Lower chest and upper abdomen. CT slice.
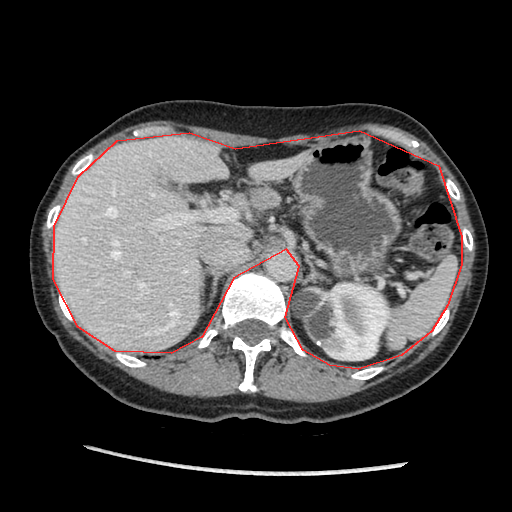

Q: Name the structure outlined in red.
A: red: abdominal cavity.
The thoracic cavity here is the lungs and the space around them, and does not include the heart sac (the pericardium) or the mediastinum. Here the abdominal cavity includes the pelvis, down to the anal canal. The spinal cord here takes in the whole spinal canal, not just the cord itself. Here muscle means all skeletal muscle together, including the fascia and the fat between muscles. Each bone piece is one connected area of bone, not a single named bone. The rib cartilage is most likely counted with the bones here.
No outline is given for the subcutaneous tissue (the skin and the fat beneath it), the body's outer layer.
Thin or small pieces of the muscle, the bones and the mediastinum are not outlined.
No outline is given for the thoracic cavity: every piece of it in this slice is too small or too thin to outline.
Outlined structures:
abdominal cavity: (359, 130) (438, 165) (461, 236) (461, 264) (447, 305) (431, 331) (401, 355) (358, 369) (329, 365) (303, 350) (285, 317) (299, 266) (286, 249) (233, 278) (201, 337) (171, 353) (115, 351) (78, 327) (53, 279) (54, 226) (78, 176) (117, 140) (189, 132) (235, 148)
mediastinum: (276, 250) (286, 250) (287, 251) (290, 251) (293, 253) (298, 259) (298, 266) (296, 269) (296, 272) (292, 276) (289, 285) (287, 287) (285, 300) (285, 296) (282, 290) (282, 287) (271, 277) (257, 271) (247, 271) (244, 272) (247, 269) (254, 265) (255, 263) (260, 259)
torso: (176, 99) (268, 106) (378, 103) (404, 111) (432, 133) (468, 182) (489, 245) (485, 288) (474, 319) (452, 356) (433, 376) (393, 401) (332, 422) (290, 424) (254, 417) (206, 422) (127, 405) (66, 357) (33, 300) (29, 236) (37, 205) (61, 163) (90, 137) (136, 107)
muscle: (155, 120) (171, 120) (180, 123) (203, 126) (232, 133) (246, 134) (247, 135) (267, 137) (268, 138) (278, 138) (301, 133) (320, 133) (321, 132) (326, 132) (331, 129) (342, 126) (359, 124) (365, 122) (371, 122) (372, 123) (391, 125) (400, 128) (415, 135) (424, 141) (445, 163) (455, 176) (462, 188) (465, 196) (465, 201) (469, 217) (474, 229) (475, 241) (476, 242) (476, 254) (473, 263) (473, 268) (471, 270) (472, 275) (470, 283) (467, 285) (463, 291) (460, 304) (455, 314) (452, 324) (450, 326) (447, 334) (440, 344) (417, 364) (378, 384) (345, 397) (322, 402) (312, 402) (311, 403) (300, 403) (299, 402) (267, 397) (260, 394) (252, 395) (245, 393) (230, 394) (210, 398) (198, 398) (197, 397) (189, 397) (179, 395) (174, 393) (162, 391) (129, 375) (121, 369) (106, 363) (101, 359) (99, 359) (83, 345) (68, 334) (67, 331) (57, 317) (57, 315) (53, 308) (49, 290) (49, 283) (46, 272) (46, 258) (42, 247) (43, 246) (41, 237) (41, 226) (44, 220) (45, 212) (56, 195) (64, 175) (68, 168) (80, 155) (101, 140) (126, 127) (142, 122) (154, 121), around a hole outlined by (148, 126) (169, 126) (173, 129) (168, 132) (197, 134) (230, 148) (301, 144) (370, 132) (370, 126) (416, 140) (415, 149) (438, 165) (444, 181) (449, 178) (457, 187) (460, 200) (450, 198) (457, 225) (460, 231) (466, 227) (473, 238) (472, 251) (462, 246) (446, 306) (447, 322) (366, 380) (350, 376) (358, 370) (355, 367) (297, 354) (274, 331) (271, 350) (256, 358) (258, 390) (243, 392) (238, 386) (245, 357) (231, 347) (231, 332) (220, 312) (207, 328) (218, 334) (206, 347) (192, 343) (156, 358) (142, 357) (143, 367) (125, 365) (113, 349) (64, 315) (53, 279) (54, 227) (48, 229) (46, 219) (53, 206) (66, 200) (78, 177) (71, 170) (81, 157) (92, 153) (95, 158) (117, 140) (132, 136) (133, 130)
bones 1: (247, 272) (261, 273) (281, 287) (285, 301) (281, 322) (308, 355) (297, 354) (278, 332) (272, 332) (271, 350) (260, 352) (256, 358) (254, 383) (258, 390) (255, 392) (243, 392) (238, 388) (244, 375) (245, 357) (240, 350) (231, 347) (231, 332) (221, 315) (228, 285); inner edge: (246, 319) (257, 319) (258, 320) (260, 320) (266, 323) (268, 325) (270, 329) (269, 336) (268, 337) (263, 338) (259, 342) (258, 342) (254, 345) (249, 345) (247, 344) (239, 336) (236, 335) (234, 332) (234, 328) (236, 324)
bones 2: (370, 126) (380, 127) (381, 128) (389, 129) (390, 130) (393, 130) (394, 131) (399, 132) (411, 139) (414, 139) (416, 140) (419, 143) (419, 146) (416, 148) (414, 148) (413, 147) (408, 147) (402, 144) (400, 142) (390, 138) (386, 135) (381, 135) (371, 131) (368, 128)
bones 3: (380, 364) (383, 364) (385, 368) (382, 371) (381, 371) (379, 373) (378, 373) (376, 375) (369, 379) (367, 379) (366, 380) (360, 380) (359, 379) (354, 379) (350, 376) (350, 375) (352, 373) (358, 370) (360, 370) (364, 368) (371, 368) (372, 367) (375, 367)
bones 4: (116, 351) (118, 351) (119, 352) (122, 352) (126, 354) (129, 354) (132, 356) (135, 356) (141, 359) (143, 361) (144, 361) (146, 363) (146, 365) (143, 367) (130, 367) (129, 366) (127, 366) (120, 361) (119, 361) (116, 358) (116, 357) (114, 355) (114, 353)
bones 5: (148, 126) (169, 126) (173, 129) (171, 130) (168, 130) (167, 131) (164, 131) (160, 133) (153, 134) (152, 135) (147, 135) (146, 136) (136, 136) (132, 134) (132, 131) (133, 130) (135, 129) (138, 129) (139, 128) (143, 128) (144, 127) (147, 127)
bones 6: (89, 153) (92, 153) (94, 155) (94, 158) (93, 159) (92, 162) (90, 164) (90, 165) (86, 169) (85, 169) (78, 175) (72, 175) (72, 174) (71, 173) (71, 170) (74, 166) (74, 165) (76, 163) (76, 162) (81, 157) (82, 157) (84, 155) (86, 155)
bones 7: (446, 307) (448, 307) (450, 310) (450, 313) (449, 314) (449, 318) (448, 319) (447, 322) (445, 324) (445, 325) (441, 329) (441, 330) (437, 334) (436, 334) (434, 336) (430, 336) (429, 335) (429, 334) (434, 328) (436, 323) (438, 321) (440, 316) (442, 314) (443, 311)
bones 8: (213, 327) (215, 329) (216, 332) (217, 333) (218, 333) (218, 334) (211, 340) (210, 343) (206, 347) (204, 347) (203, 348) (198, 348) (197, 347) (196, 347) (196, 345) (194, 343) (195, 343) (198, 340) (199, 340) (208, 329) (209, 329) (210, 328) (212, 328)
bones 9: (57, 204) (59, 204) (61, 206) (60, 207) (60, 209) (59, 210) (59, 212) (58, 213) (57, 218) (55, 221) (55, 223) (54, 224) (54, 225) (51, 228) (48, 229) (46, 227) (46, 219) (47, 218) (48, 213) (49, 212) (50, 209) (53, 206) (54, 206)
bones 10: (59, 292) (61, 292) (61, 293) (63, 295) (63, 296) (67, 303) (67, 305) (69, 307) (69, 309) (71, 312) (71, 315) (75, 320) (75, 322) (72, 322) (71, 321) (70, 321) (64, 315) (64, 314) (59, 305) (59, 302) (58, 301) (58, 294) (59, 293)
bones 11: (447, 178) (449, 178) (455, 184) (455, 185) (457, 187) (457, 188) (459, 191) (459, 193) (460, 194) (460, 200) (459, 200) (458, 201) (457, 200) (455, 200) (453, 198) (452, 198) (449, 195) (449, 194) (448, 193) (448, 192) (446, 190) (446, 183) (445, 182) (445, 180)
spinal cord: (246, 319) (257, 319) (258, 320) (260, 320) (266, 323) (268, 325) (270, 329) (269, 336) (268, 337) (263, 338) (259, 342) (258, 342) (254, 345) (249, 345) (247, 344) (239, 336) (236, 335) (234, 332) (234, 328) (236, 324)